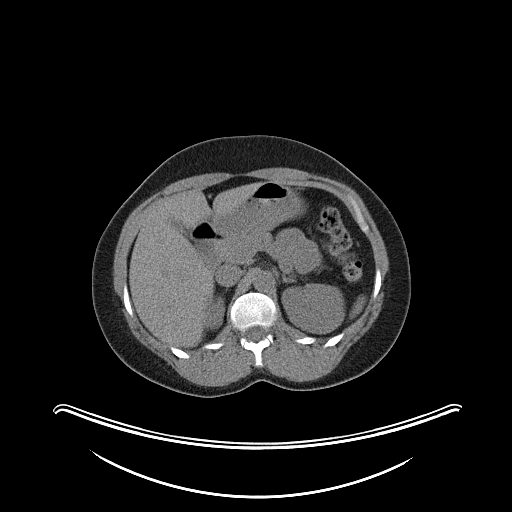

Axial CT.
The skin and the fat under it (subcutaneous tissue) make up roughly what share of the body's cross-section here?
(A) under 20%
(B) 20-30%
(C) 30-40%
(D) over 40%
Answer: (B) 20-30%
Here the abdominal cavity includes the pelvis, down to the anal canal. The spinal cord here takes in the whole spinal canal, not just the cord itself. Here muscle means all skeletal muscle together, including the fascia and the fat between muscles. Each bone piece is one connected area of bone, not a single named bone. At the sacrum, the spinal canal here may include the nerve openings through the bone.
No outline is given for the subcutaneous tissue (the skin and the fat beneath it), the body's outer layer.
{"muscle":[{"outer":[[269,167],[289,167],[290,168],[295,168],[310,173],[328,177],[331,179],[334,179],[337,181],[346,184],[348,186],[351,187],[359,195],[366,206],[381,235],[387,252],[387,256],[389,262],[389,272],[387,275],[387,278],[384,286],[384,297],[383,298],[382,307],[378,316],[372,324],[371,327],[349,348],[337,366],[326,375],[324,375],[317,379],[309,380],[308,381],[292,381],[291,380],[288,380],[284,377],[280,377],[274,375],[266,369],[263,368],[260,369],[259,368],[256,368],[254,369],[251,373],[245,377],[240,378],[238,380],[231,382],[226,385],[223,385],[222,386],[204,386],[203,385],[198,385],[180,376],[179,374],[167,364],[163,359],[143,345],[131,332],[127,324],[127,322],[125,320],[125,318],[121,311],[121,302],[120,299],[115,292],[113,287],[113,259],[114,258],[115,248],[119,238],[119,235],[121,232],[122,227],[129,214],[141,202],[170,183],[172,183],[183,178],[190,177],[194,175],[199,175],[204,173],[212,173],[213,172],[238,173],[239,172],[248,172],[256,169],[268,168]],"hole":[[240,176],[323,189],[341,200],[355,219],[354,208],[347,196],[350,195],[356,201],[369,227],[365,235],[371,245],[374,266],[380,270],[381,283],[376,297],[374,299],[370,296],[361,315],[342,330],[344,334],[336,344],[323,347],[327,338],[317,338],[309,344],[296,342],[295,339],[302,338],[305,334],[288,324],[277,306],[276,319],[269,328],[273,342],[261,352],[262,366],[256,366],[254,353],[240,344],[242,333],[233,326],[229,310],[225,325],[211,341],[222,342],[222,346],[217,349],[198,347],[186,352],[188,358],[180,358],[171,351],[169,343],[154,337],[135,313],[132,317],[126,310],[123,286],[127,282],[127,258],[148,210],[171,194],[190,188],[203,189]]}],"bones":[{"outer":[[248,292],[259,292],[269,296],[275,303],[277,311],[276,319],[269,328],[269,332],[273,336],[273,342],[265,347],[261,352],[262,366],[256,366],[254,353],[251,350],[242,347],[240,344],[242,333],[233,326],[230,318],[230,307],[234,301],[239,296]],"hole":[[253,326],[260,326],[261,327],[263,327],[266,330],[266,331],[267,332],[266,333],[265,336],[263,338],[260,339],[258,341],[252,341],[251,340],[248,340],[244,336],[244,333],[246,331],[246,330],[247,329],[248,329],[250,327],[252,327]]},[[348,195],[350,195],[356,201],[359,207],[359,209],[361,212],[361,214],[365,222],[369,227],[369,230],[366,233],[362,231],[362,230],[360,228],[360,226],[358,224],[356,220],[356,214],[355,213],[354,208],[352,204],[350,202],[350,200],[347,196]],[[125,283],[126,283],[127,285],[127,290],[129,294],[129,299],[130,300],[130,303],[131,304],[131,306],[133,310],[133,316],[132,317],[129,315],[128,312],[126,310],[124,306],[124,303],[123,302],[123,286]],[[376,268],[378,268],[380,270],[380,275],[381,276],[381,283],[380,284],[380,286],[379,287],[379,291],[378,292],[378,293],[377,294],[376,297],[374,299],[372,297],[372,292],[373,291],[373,289],[374,288],[374,279],[375,278],[375,270],[376,269]],[[342,331],[343,331],[344,332],[344,334],[343,335],[343,336],[340,339],[340,340],[336,344],[335,344],[332,346],[328,346],[327,347],[323,347],[323,345],[327,341],[327,340],[329,338],[330,338],[332,336],[334,336],[335,335],[338,334]],[[170,346],[174,346],[175,347],[176,347],[177,348],[178,348],[179,349],[180,349],[181,350],[182,350],[183,351],[186,352],[189,355],[189,357],[188,358],[180,358],[179,357],[178,357],[176,355],[175,355],[171,351],[171,350],[170,349]],[[305,336],[310,336],[311,337],[314,337],[316,339],[315,340],[315,341],[314,342],[313,342],[312,343],[310,343],[309,344],[308,343],[298,343],[297,342],[296,342],[295,341],[295,339],[296,339],[297,338],[302,338],[303,337],[304,337]],[[218,342],[222,342],[223,343],[223,345],[222,346],[221,346],[219,348],[218,348],[217,349],[204,349],[203,348],[202,348],[202,346],[204,344],[206,344],[207,343],[217,343]]],"abdominal_cavity":[[[240,176],[328,191],[344,203],[369,240],[375,267],[371,295],[361,315],[338,333],[328,338],[305,335],[285,321],[269,295],[259,291],[239,295],[229,307],[225,325],[211,342],[187,351],[154,337],[134,313],[127,284],[127,258],[148,210],[171,194]]],"torso":[[[250,134],[281,136],[311,145],[340,161],[381,198],[406,245],[411,275],[409,308],[402,329],[385,356],[365,373],[343,383],[296,391],[259,381],[241,391],[217,397],[180,393],[130,369],[107,343],[92,304],[94,252],[115,211],[164,160],[203,140]]],"spinal_cord":[[[253,326],[260,326],[261,327],[263,327],[266,330],[266,331],[267,332],[266,333],[265,336],[263,338],[260,339],[258,341],[252,341],[251,340],[248,340],[244,336],[244,333],[246,331],[246,330],[247,329],[248,329],[250,327],[252,327]]]}